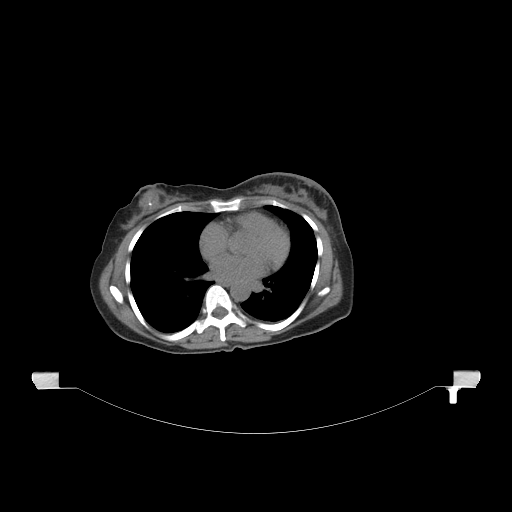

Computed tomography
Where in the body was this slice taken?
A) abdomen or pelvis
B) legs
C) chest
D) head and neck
Answer: C) chest
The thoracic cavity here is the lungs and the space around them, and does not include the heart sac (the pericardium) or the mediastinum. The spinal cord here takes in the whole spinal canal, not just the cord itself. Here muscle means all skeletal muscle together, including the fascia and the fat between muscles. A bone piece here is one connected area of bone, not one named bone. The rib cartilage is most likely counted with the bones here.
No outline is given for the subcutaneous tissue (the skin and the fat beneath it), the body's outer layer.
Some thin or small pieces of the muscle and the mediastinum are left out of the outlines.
The muscle is outlined by [[238,195],[267,195],[284,199],[309,211],[322,224],[329,235],[332,251],[338,262],[342,278],[343,292],[339,302],[312,318],[272,336],[270,339],[255,342],[229,341],[226,345],[212,348],[189,349],[179,345],[166,345],[145,337],[122,323],[103,300],[98,283],[101,272],[116,252],[123,237],[143,219],[166,206],[183,201],[208,199],[210,199],[208,200],[209,211],[202,211],[203,209],[200,206],[178,203],[159,213],[147,226],[145,224],[140,226],[130,239],[127,252],[131,254],[124,264],[124,279],[125,283],[130,286],[126,295],[138,321],[146,329],[151,326],[160,332],[158,336],[169,342],[178,341],[195,331],[201,334],[209,326],[218,329],[219,339],[224,342],[226,340],[226,328],[230,324],[244,328],[248,322],[260,329],[274,332],[283,329],[299,316],[307,302],[304,298],[308,290],[311,291],[315,287],[320,272],[318,258],[323,254],[324,248],[321,237],[314,233],[318,231],[318,226],[306,213],[301,212],[299,214],[274,198],[259,199],[253,203],[254,206],[245,207],[243,196],[229,199]] with holes at [[110,285],[114,285],[121,292],[121,293],[122,294],[122,296],[123,297],[123,302],[122,303],[119,303],[114,298],[114,297],[112,295],[112,294],[110,292],[110,290],[109,289],[109,287],[110,286]] and at [[326,286],[328,286],[330,288],[330,289],[329,290],[329,291],[326,294],[325,294],[324,295],[323,295],[322,296],[319,296],[317,294],[317,293],[320,290],[321,290],[324,287],[325,287]]. The thoracic cavity appears in 2 outlined pieces: piece 1: [[183,211],[216,213],[216,215],[203,227],[198,238],[199,253],[208,268],[206,273],[208,276],[207,279],[212,281],[212,284],[204,293],[199,316],[184,328],[166,333],[161,332],[150,325],[138,307],[130,285],[131,255],[140,236],[152,222],[167,215]]; piece 2: [[265,205],[289,209],[300,215],[313,231],[317,255],[309,288],[303,299],[287,317],[274,322],[255,318],[246,314],[240,308],[241,304],[252,293],[258,291],[258,284],[262,282],[263,278],[277,272],[286,263],[290,255],[290,230],[287,224],[267,209]]. The torso is outlined by [[274,171],[296,173],[315,180],[328,191],[337,206],[354,267],[353,306],[346,317],[317,332],[284,342],[200,354],[174,354],[150,348],[121,338],[106,325],[90,293],[90,272],[115,212],[131,200],[139,187],[148,183],[164,182],[225,188],[254,175]]. The pericardium is outlined by [[250,208],[261,208],[267,210],[276,215],[286,224],[290,236],[290,250],[288,258],[277,271],[263,277],[262,279],[260,277],[254,278],[225,277],[209,268],[202,258],[199,249],[200,234],[204,227],[210,221],[217,217],[232,211],[233,212]]. The spinal cord is outlined by [[217,306],[220,306],[221,307],[224,308],[226,310],[226,311],[227,312],[226,313],[226,314],[225,315],[224,315],[221,318],[218,318],[217,317],[214,316],[212,313],[213,312],[214,309],[215,309],[217,307]]. The bones appear in 12 outlined pieces: piece 1: [[213,284],[220,285],[250,319],[267,323],[287,318],[304,299],[306,302],[298,316],[279,330],[266,330],[248,321],[244,327],[228,324],[224,341],[220,339],[219,329],[213,325],[201,333],[195,330],[169,341],[159,334],[180,331],[197,319],[205,293]], around a hole outlined by [[217,306],[220,306],[221,307],[224,308],[226,310],[226,311],[227,312],[226,313],[226,314],[225,315],[224,315],[221,318],[218,318],[217,317],[214,316],[212,313],[213,312],[214,309],[215,309],[217,307]]; piece 2: [[237,197],[243,197],[244,198],[245,206],[243,208],[238,210],[234,210],[233,211],[232,210],[231,211],[220,211],[219,212],[212,212],[210,211],[210,208],[209,207],[209,200],[211,199],[215,199],[219,201],[226,201],[227,200],[234,199]]; piece 3: [[178,204],[185,204],[186,205],[189,205],[190,206],[200,207],[202,209],[201,211],[192,211],[191,210],[183,210],[182,211],[177,211],[176,212],[173,212],[172,213],[167,214],[157,219],[155,219],[155,218],[159,214],[169,209],[171,209],[175,207]]; piece 4: [[128,290],[130,290],[131,291],[133,295],[133,297],[135,300],[135,302],[137,305],[137,307],[139,311],[141,313],[142,316],[149,325],[149,328],[146,328],[139,321],[135,313],[133,311],[131,307],[131,305],[129,302],[128,296],[127,295],[127,291]]; piece 5: [[263,199],[274,199],[275,200],[288,206],[289,207],[289,208],[283,208],[282,207],[280,207],[279,206],[277,206],[276,205],[273,205],[272,204],[262,204],[261,205],[256,205],[255,204],[254,204],[254,203],[255,202],[256,202],[259,200],[262,200]]; piece 6: [[143,225],[145,225],[146,226],[145,227],[145,228],[143,230],[143,231],[139,236],[138,239],[136,241],[136,242],[135,243],[131,252],[128,252],[128,246],[129,245],[129,243],[130,242],[131,239],[133,237],[134,234],[138,230],[138,229]]; piece 7: [[110,285],[114,285],[121,292],[121,293],[122,294],[122,296],[123,297],[123,302],[122,303],[119,303],[114,298],[114,297],[112,295],[112,294],[110,292],[110,290],[109,289],[109,287],[110,286]]; piece 8: [[317,260],[319,261],[319,272],[318,273],[318,276],[317,277],[317,280],[315,283],[315,285],[314,287],[311,290],[310,289],[310,284],[312,280],[312,277],[313,276],[313,273],[314,272],[314,269],[315,268],[315,265],[317,262]]; piece 9: [[127,259],[130,259],[130,266],[129,267],[129,273],[130,274],[130,282],[129,283],[129,284],[127,284],[126,283],[126,280],[125,279],[125,264],[126,263],[126,261],[127,260]]; piece 10: [[317,235],[318,235],[320,237],[320,238],[321,239],[321,242],[322,243],[322,247],[323,248],[323,250],[322,251],[322,254],[319,257],[318,257],[318,255],[317,254],[317,243],[316,242],[316,237],[315,236],[316,236]]; piece 11: [[301,213],[304,213],[305,214],[306,214],[315,223],[315,224],[317,226],[317,231],[316,231],[315,232],[313,230],[313,229],[311,227],[311,226],[307,222],[307,221],[301,215]]; piece 12: [[326,286],[328,286],[330,288],[330,289],[329,290],[329,291],[326,294],[325,294],[324,295],[323,295],[322,296],[319,296],[317,294],[317,293],[320,290],[321,290],[324,287],[325,287]]. The mediastinum is outlined by [[209,269],[211,269],[215,273],[228,279],[254,279],[255,278],[260,278],[261,282],[257,284],[257,291],[252,292],[250,294],[249,297],[240,304],[240,307],[239,307],[232,300],[229,293],[220,284],[213,283],[212,280],[208,279],[209,276],[207,273]].